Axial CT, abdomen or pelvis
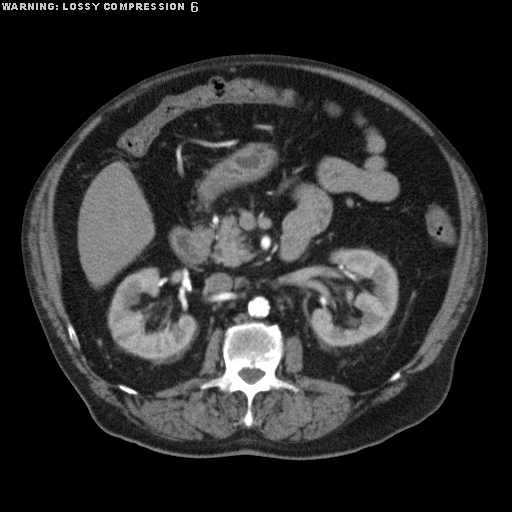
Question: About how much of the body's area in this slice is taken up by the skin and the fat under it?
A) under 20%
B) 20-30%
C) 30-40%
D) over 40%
Answer: A) under 20%
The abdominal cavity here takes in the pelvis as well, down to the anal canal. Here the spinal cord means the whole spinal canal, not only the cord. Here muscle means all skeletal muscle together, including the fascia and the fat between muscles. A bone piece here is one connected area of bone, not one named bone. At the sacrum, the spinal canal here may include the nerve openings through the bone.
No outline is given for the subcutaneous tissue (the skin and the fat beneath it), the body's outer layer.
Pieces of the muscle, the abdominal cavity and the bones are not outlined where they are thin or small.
bones 1: 245,322 278,325 283,337 283,356 275,374 299,388 297,392 286,388 258,392 251,404 253,423 250,427 242,422 247,410 247,399 241,391 222,391 217,386 200,388 201,384 224,372 225,363 221,349 225,330; inner edge: 244,368 249,368 250,369 252,369 253,368 255,368 256,369 259,369 261,371 262,371 263,372 263,375 260,378 259,378 255,382 254,382 253,383 249,383 248,382 245,381 239,375 239,372 242,369 243,369
bones 2: 69,323 71,323 77,335 77,337 79,341 79,344 80,345 80,348 79,349 77,349 73,345 72,342 70,340 70,338 68,334 68,330 67,329 67,324
bones 3: 118,384 123,384 124,385 125,385 128,387 130,387 131,388 132,388 133,389 134,389 136,391 137,391 138,392 138,393 135,395 134,394 130,394 129,393 128,393 125,391 123,391 118,387 118,386 117,385
torso: 255,52 335,63 391,87 417,106 460,152 486,206 484,283 457,352 447,397 420,423 345,455 311,460 254,455 188,458 109,435 94,422 57,364 24,277 20,227 27,196 51,156 92,112 159,71 212,56
spinal cord: 244,368 249,368 250,369 252,369 253,368 255,368 256,369 259,369 261,371 262,371 263,372 263,375 260,378 259,378 255,382 254,382 253,383 249,383 248,382 245,381 239,375 239,372 242,369 243,369
abdominal cavity: 247,65 325,75 377,98 432,138 451,171 460,242 443,300 413,357 375,387 301,374 302,341 284,338 275,322 233,324 223,338 217,327 200,375 152,394 108,381 82,351 54,225 66,165 106,114 150,88
muscle: 254,60 288,62 323,67 363,79 376,85 399,99 413,110 431,128 435,133 435,136 445,149 463,167 475,191 478,206 477,207 480,213 480,231 482,237 482,246 476,285 472,296 467,302 467,307 461,315 459,322 451,332 436,358 424,369 414,373 408,379 407,385 398,394 385,402 379,403 368,408 359,416 354,417 349,421 346,421 345,423 329,433 310,440 301,439 298,441 290,441 288,438 284,438 275,441 268,439 260,432 249,428 239,429 231,435 219,439 210,435 206,435 201,440 184,439 176,441 161,437 147,429 144,429 128,419 119,408 95,394 90,388 87,378 72,362 67,350 56,334 55,329 41,304 35,287 36,283 31,270 31,257 27,239 27,234 30,225 31,210 35,197 50,168 64,155 68,148 76,140 78,134 97,115 120,98 133,91 140,85 170,73 185,70 192,67 210,65 215,63; inner edge: 247,65 401,112 447,162 460,215 443,300 400,377 355,391 301,374 289,335 275,374 299,390 258,392 250,427 241,391 200,388 224,372 219,327 200,375 152,394 92,368 68,334 54,225 61,175 106,114